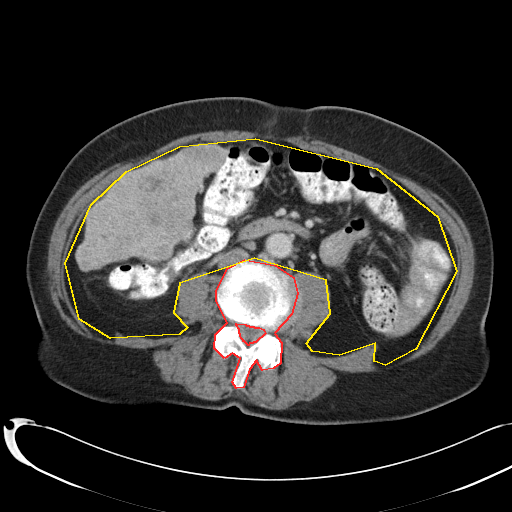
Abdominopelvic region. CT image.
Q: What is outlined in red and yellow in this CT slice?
A: red: bones; yellow: abdominal cavity.
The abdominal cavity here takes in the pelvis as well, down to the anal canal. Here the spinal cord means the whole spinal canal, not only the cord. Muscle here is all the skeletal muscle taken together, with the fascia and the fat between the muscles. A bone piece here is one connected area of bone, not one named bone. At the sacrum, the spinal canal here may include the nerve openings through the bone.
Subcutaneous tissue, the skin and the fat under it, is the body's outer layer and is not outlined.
Outlines:
bones: (244, 259) (275, 265) (293, 277) (297, 293) (291, 314) (274, 333) (281, 342) (280, 363) (273, 368) (262, 370) (256, 360) (249, 369) (243, 387) (236, 388) (232, 382) (240, 358) (232, 353) (224, 358) (214, 348) (215, 334) (227, 322) (216, 301) (216, 291) (227, 268), around a hole outlined by (236, 323) (245, 324) (246, 325) (248, 325) (249, 326) (253, 326) (254, 327) (259, 327) (263, 329) (265, 333) (255, 342) (253, 342) (252, 343) (249, 343) (248, 345) (244, 341) (243, 341) (243, 340) (241, 338) (240, 336) (240, 334) (239, 333) (239, 329) (236, 325)
abdominal cavity: (255, 138) (376, 168) (437, 216) (456, 271) (415, 349) (385, 365) (374, 361) (375, 343) (339, 355) (312, 351) (306, 343) (330, 313) (326, 280) (254, 258) (179, 283) (173, 312) (187, 327) (179, 334) (110, 338) (79, 319) (65, 263) (91, 204) (126, 171) (179, 146)
muscle: (215, 130) (239, 130) (240, 131) (244, 130) (251, 132) (258, 132) (261, 134) (272, 134) (281, 137) (300, 135) (304, 138) (318, 139) (352, 151) (373, 161) (375, 161) (385, 167) (399, 173) (401, 175) (410, 178) (421, 186) (430, 189) (444, 199) (456, 211) (468, 229) (474, 248) (474, 259) (475, 260) (473, 282) (468, 300) (451, 329) (431, 350) (424, 355) (412, 361) (381, 372) (342, 372) (339, 374) (336, 381) (329, 388) (312, 400) (307, 402) (306, 401) (300, 401) (286, 409) (276, 410) (256, 405) (248, 401) (245, 397) (244, 398) (239, 395) (232, 395) (217, 400) (209, 400) (196, 397) (186, 392) (184, 388) (180, 385) (165, 382) (160, 377) (160, 370) (154, 364) (151, 355) (147, 350) (139, 348) (131, 348) (116, 344) (102, 343) (99, 341) (87, 338) (75, 332) (69, 327) (61, 318) (56, 307) (52, 302) (49, 291) (48, 275) (47, 274) (47, 256) (48, 255) (48, 247) (50, 237) (55, 222) (68, 200) (75, 191) (86, 181) (103, 169) (115, 163) (127, 161) (132, 158) (145, 155) (160, 146) (185, 135) (194, 134) (199, 132) (205, 132) (206, 131) (214, 131) with a hole at (255, 138) (376, 168) (437, 216) (456, 271) (415, 349) (385, 365) (375, 343) (312, 351) (331, 293) (307, 270) (274, 333) (280, 363) (256, 360) (242, 388) (240, 358) (214, 348) (217, 273) (177, 286) (179, 334) (110, 338) (79, 319) (65, 263) (91, 204) (179, 146)
torso: (216, 96) (366, 111) (433, 141) (465, 169) (482, 198) (494, 253) (485, 320) (491, 363) (479, 387) (398, 420) (310, 425) (247, 415) (235, 406) (213, 410) (108, 404) (42, 372) (33, 354) (40, 328) (26, 284) (26, 255) (37, 216) (61, 171) (90, 139) (128, 117)
spinal cord: (236, 323) (245, 324) (246, 325) (248, 325) (249, 326) (253, 326) (254, 327) (259, 327) (263, 329) (265, 333) (255, 342) (253, 342) (252, 343) (249, 343) (248, 345) (244, 341) (243, 341) (243, 340) (241, 338) (240, 336) (240, 334) (239, 333) (239, 329) (236, 325)